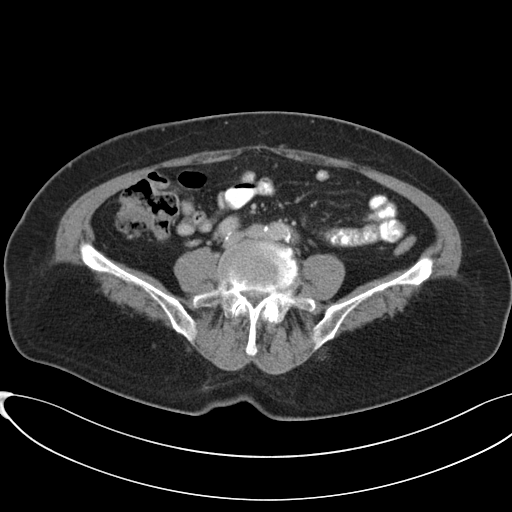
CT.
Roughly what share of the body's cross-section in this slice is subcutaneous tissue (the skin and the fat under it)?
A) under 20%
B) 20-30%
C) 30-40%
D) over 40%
Answer: D) over 40%
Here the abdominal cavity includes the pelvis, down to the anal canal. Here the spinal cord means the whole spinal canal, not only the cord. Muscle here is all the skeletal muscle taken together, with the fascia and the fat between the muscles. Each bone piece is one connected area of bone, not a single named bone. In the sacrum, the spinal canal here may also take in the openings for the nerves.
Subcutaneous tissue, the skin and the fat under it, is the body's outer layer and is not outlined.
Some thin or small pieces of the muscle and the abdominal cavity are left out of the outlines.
The bones appear in 3 outlined pieces: piece 1: 246,241 265,241 291,248 298,265 293,291 312,298 316,305 311,312 292,306 278,323 260,319 256,324 254,355 245,351 249,334 246,315 226,317 220,305 194,307 192,303 195,295 217,287 221,258; inner edge: 248,292 257,292 258,293 261,293 262,294 266,294 266,295 256,305 253,305 249,301 249,300 247,298 247,297 244,294 243,294 243,293 247,293; piece 2: 81,242 87,242 91,244 122,269 148,282 164,293 175,297 195,322 197,333 193,343 188,341 183,335 174,330 170,320 161,306 141,286 133,282 127,282 110,273 100,272 88,267 82,261 80,256 79,247; piece 3: 424,256 428,256 433,260 432,272 427,279 418,285 396,284 387,287 382,291 373,293 349,312 332,339 325,342 316,350 313,350 314,345 311,340 312,329 322,318 327,307 334,303 345,301 383,282 395,278. The torso is outlined by 257,110 316,113 377,129 421,150 461,182 485,212 511,272 511,308 502,341 489,360 379,407 320,419 280,421 245,401 202,415 157,408 29,360 16,350 5,317 5,247 28,202 54,172 85,149 128,130. The muscle is outlined by 257,144 346,158 425,192 449,213 457,227 462,252 459,275 428,280 401,312 343,332 331,342 323,359 312,356 276,375 263,372 253,363 235,371 216,367 194,349 188,350 176,333 191,344 198,333 195,320 182,303 110,259 152,276 174,295 184,297 173,270 176,260 187,251 210,248 218,254 219,281 215,288 195,294 192,306 220,306 226,318 246,316 244,351 248,356 258,352 260,320 278,324 292,307 311,313 316,309 312,297 296,294 292,286 299,275 300,260 312,254 333,254 343,263 343,281 330,301 409,267 327,306 311,329 313,351 332,340 350,312 373,294 396,285 418,286 433,272 433,258 420,256 436,240 436,230 406,197 349,168 249,149 220,161 151,170 108,197 93,212 90,224 95,247 81,241 81,261 91,270 141,287 160,306 173,329 109,300 85,266 53,261 57,228 68,207 91,188 126,172 205,150. The abdominal cavity is outlined by 249,150 358,172 415,205 431,222 435,240 411,265 335,300 346,269 333,253 312,253 299,268 291,247 246,240 218,266 219,254 201,246 175,260 173,274 185,294 174,294 96,247 94,212 151,171 220,162. The spinal cord is outlined by 248,292 257,292 258,293 261,293 262,294 266,294 266,295 256,305 253,305 249,301 249,300 247,298 247,297 244,294 243,294 243,293 247,293.